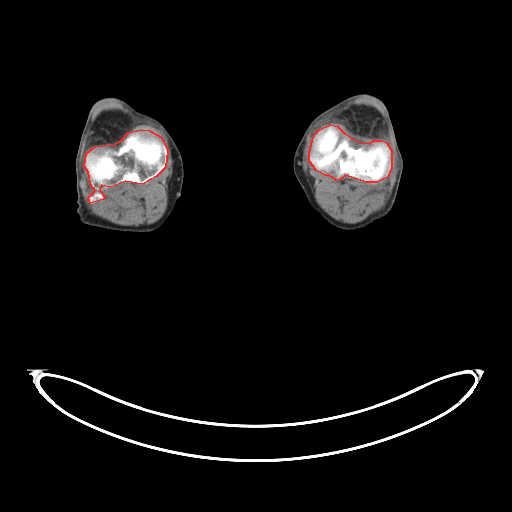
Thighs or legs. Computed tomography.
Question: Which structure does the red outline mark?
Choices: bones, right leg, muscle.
Answer: red: bones.
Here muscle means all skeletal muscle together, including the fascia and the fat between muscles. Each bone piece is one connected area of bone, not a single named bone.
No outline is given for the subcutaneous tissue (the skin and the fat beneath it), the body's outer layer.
The bones appear in 2 outlined pieces: piece 1: (141, 129) (149, 130) (161, 137) (167, 150) (165, 167) (156, 176) (142, 184) (125, 181) (110, 187) (101, 185) (99, 190) (104, 196) (103, 199) (90, 203) (88, 197) (95, 190) (91, 186) (88, 172) (84, 166) (86, 153) (95, 146) (113, 144) (121, 140) (128, 132); piece 2: (330, 124) (337, 126) (344, 133) (360, 142) (369, 143) (373, 140) (381, 140) (386, 142) (391, 150) (391, 167) (387, 177) (377, 182) (366, 182) (345, 175) (340, 179) (336, 180) (329, 175) (325, 175) (316, 170) (309, 161) (309, 153) (312, 140) (315, 133) (319, 129). The right leg is outlined by (105, 96) (119, 97) (129, 103) (136, 110) (153, 116) (159, 120) (169, 132) (180, 151) (184, 169) (181, 194) (175, 204) (173, 211) (166, 221) (159, 228) (153, 231) (119, 231) (87, 225) (79, 220) (76, 213) (77, 193) (75, 158) (80, 136) (91, 106) (96, 100). The left leg is outlined by (358, 93) (372, 94) (380, 98) (385, 104) (389, 112) (397, 144) (402, 156) (403, 169) (397, 195) (393, 207) (389, 213) (381, 219) (365, 227) (348, 230) (341, 229) (330, 224) (310, 206) (294, 174) (292, 165) (296, 147) (304, 131) (312, 119) (334, 104) (349, 96). The muscle appears in 2 outlined pieces: piece 1: (358, 98) (371, 99) (379, 103) (386, 110) (390, 123) (391, 129) (390, 134) (397, 155) (397, 172) (394, 185) (385, 206) (362, 221) (350, 224) (332, 218) (317, 204) (313, 192) (306, 182) (302, 167) (299, 163) (299, 153) (306, 140) (307, 135) (318, 121), around a hole outlined by (330, 124) (337, 126) (344, 133) (360, 142) (369, 143) (373, 140) (381, 140) (386, 142) (391, 150) (391, 167) (387, 177) (377, 182) (366, 182) (345, 175) (340, 179) (336, 180) (329, 175) (325, 175) (316, 170) (309, 161) (309, 153) (312, 140) (315, 133) (319, 129); piece 2: (106, 102) (116, 102) (121, 104) (136, 117) (153, 123) (167, 138) (173, 161) (172, 180) (168, 190) (168, 202) (166, 210) (161, 218) (152, 224) (126, 226) (110, 222) (92, 214) (84, 201) (80, 186) (82, 172) (80, 158) (81, 149) (90, 119) (95, 109) (99, 105); inner edge: (141, 129) (149, 130) (161, 137) (167, 150) (165, 167) (156, 176) (142, 184) (125, 181) (110, 187) (101, 185) (99, 190) (104, 196) (103, 199) (90, 203) (88, 197) (95, 190) (91, 186) (88, 172) (84, 166) (86, 153) (95, 146) (113, 144) (121, 140) (128, 132).